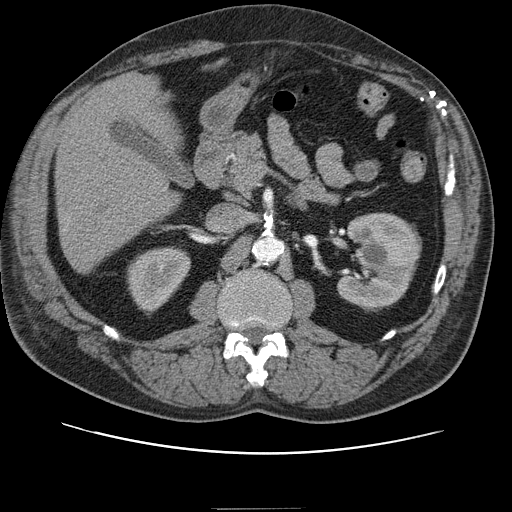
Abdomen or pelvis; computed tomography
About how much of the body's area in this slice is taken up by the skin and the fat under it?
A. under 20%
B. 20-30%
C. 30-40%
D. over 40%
A. under 20%
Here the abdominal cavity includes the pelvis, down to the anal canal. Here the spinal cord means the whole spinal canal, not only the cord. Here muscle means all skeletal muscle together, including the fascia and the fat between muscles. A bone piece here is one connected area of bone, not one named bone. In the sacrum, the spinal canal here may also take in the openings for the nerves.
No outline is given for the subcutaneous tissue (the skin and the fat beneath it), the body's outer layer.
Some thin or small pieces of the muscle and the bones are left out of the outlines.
Outlines:
abdominal cavity: (269, 43) (371, 73) (431, 115) (443, 247) (425, 310) (353, 341) (311, 319) (315, 289) (307, 281) (294, 278) (289, 289) (248, 267) (219, 291) (211, 280) (199, 287) (188, 306) (195, 323) (151, 340) (129, 337) (84, 308) (50, 254) (49, 177) (64, 129) (110, 77)
torso: (256, 3) (331, 14) (426, 67) (463, 108) (489, 175) (493, 251) (481, 312) (462, 361) (433, 391) (359, 420) (310, 424) (253, 412) (195, 423) (142, 414) (39, 367) (16, 342) (6, 313) (0, 273) (6, 198) (22, 150) (54, 97) (112, 49) (142, 32) (214, 9)
bones 1: (248, 268) (263, 270) (277, 277) (289, 290) (292, 300) (292, 313) (282, 331) (289, 354) (287, 357) (271, 355) (266, 360) (263, 366) (267, 377) (261, 387) (254, 387) (247, 380) (250, 366) (241, 355) (228, 359) (223, 357) (226, 334) (217, 312) (220, 289) (228, 279), around a hole outlined by (257, 326) (261, 327) (262, 328) (264, 328) (269, 331) (271, 331) (271, 332) (269, 333) (266, 333) (261, 338) (261, 344) (259, 345) (256, 345) (255, 346) (249, 345) (247, 343) (249, 339) (246, 336) (245, 336) (240, 332) (241, 331) (243, 331) (250, 328) (254, 328)
bones 2: (449, 141) (449, 143) (451, 144) (453, 147) (454, 167) (455, 168) (456, 183) (455, 184) (452, 195) (451, 196) (446, 196) (444, 194) (444, 192) (443, 191) (443, 186) (446, 178) (445, 176) (446, 174) (446, 161) (447, 160) (447, 155) (448, 154) (448, 144) (449, 143)
bones 3: (442, 263) (446, 266) (446, 275) (445, 276) (445, 279) (444, 280) (443, 285) (440, 291) (437, 294) (434, 295) (432, 292) (432, 286) (434, 282) (434, 279) (436, 275) (436, 272) (437, 271) (437, 269) (439, 265)
bones 4: (103, 322) (104, 323) (106, 323) (108, 324) (110, 326) (112, 326) (114, 327) (116, 329) (116, 330) (119, 333) (120, 335) (120, 337) (121, 338) (119, 341) (116, 341) (115, 340) (113, 340) (111, 338) (107, 336) (102, 331) (102, 323)
bones 5: (392, 328) (395, 328) (395, 329) (396, 330) (396, 333) (395, 334) (395, 335) (393, 337) (392, 337) (390, 339) (388, 339) (387, 340) (385, 340) (384, 341) (380, 341) (380, 338) (387, 331) (388, 331) (390, 329) (391, 329)
muscle: (273, 38) (333, 43) (398, 64) (448, 97) (481, 175) (480, 235) (462, 292) (425, 352) (352, 401) (291, 406) (261, 388) (267, 360) (290, 354) (283, 331) (293, 313) (294, 279) (314, 289) (310, 319) (358, 343) (390, 340) (396, 328) (424, 313) (432, 283) (434, 296) (441, 291) (447, 275) (440, 263) (441, 200) (457, 183) (453, 145) (447, 144) (442, 188) (434, 121) (419, 98) (371, 72) (284, 42) (232, 45) (106, 78) (65, 125) (52, 157) (49, 254) (67, 290) (116, 342) (122, 338) (117, 329) (151, 341) (195, 324) (189, 306) (200, 287) (208, 281) (218, 287) (221, 355) (241, 356) (253, 387) (228, 407) (173, 406) (82, 352) (26, 290) (10, 226) (15, 177) (51, 108) (125, 59) (198, 39)
spinal cord: (257, 326) (261, 327) (262, 328) (264, 328) (269, 331) (271, 331) (271, 332) (269, 333) (266, 333) (261, 338) (261, 344) (259, 345) (256, 345) (255, 346) (249, 345) (247, 343) (249, 339) (246, 336) (245, 336) (240, 332) (241, 331) (243, 331) (250, 328) (254, 328)